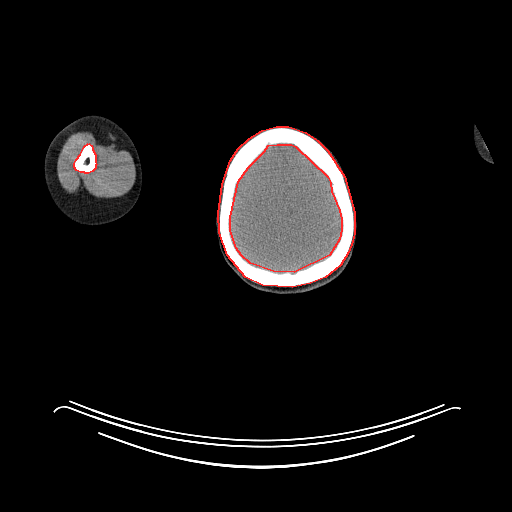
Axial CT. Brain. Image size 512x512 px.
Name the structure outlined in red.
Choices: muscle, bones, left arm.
red: bones.
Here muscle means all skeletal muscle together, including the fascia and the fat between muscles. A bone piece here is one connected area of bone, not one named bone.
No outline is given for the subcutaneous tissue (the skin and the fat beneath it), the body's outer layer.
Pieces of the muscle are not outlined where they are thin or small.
{"bones":[{"outer":[[276,126],[288,126],[305,132],[317,140],[327,150],[344,176],[354,212],[354,233],[352,241],[348,252],[340,265],[325,277],[310,283],[292,287],[262,285],[245,277],[227,255],[219,232],[218,213],[222,184],[230,160],[238,148],[249,138],[262,130]],"hole":[[277,144],[291,144],[295,146],[327,176],[330,182],[331,191],[339,210],[341,219],[341,229],[339,239],[329,255],[294,272],[273,271],[250,263],[241,255],[236,248],[230,230],[230,217],[238,181],[248,167],[264,151],[268,145]]},[[88,143],[91,145],[92,147],[92,149],[95,154],[95,162],[96,164],[95,165],[95,168],[92,171],[88,173],[85,173],[84,172],[80,172],[76,170],[74,167],[74,163],[76,159],[80,154],[84,146]]],"head":[[[276,126],[291,126],[308,132],[321,140],[333,152],[343,170],[358,223],[353,254],[344,271],[326,285],[297,294],[268,293],[246,285],[224,261],[215,233],[214,216],[216,206],[224,174],[230,160],[238,148],[250,136],[256,132]]],"muscle":[{"outer":[[82,130],[88,130],[96,133],[115,133],[120,136],[127,143],[129,148],[129,152],[133,158],[136,175],[132,188],[123,196],[117,198],[104,199],[94,197],[87,193],[68,194],[60,186],[56,171],[56,163],[58,154],[66,139],[72,133]],"hole":[[88,143],[91,145],[92,147],[92,149],[95,154],[95,162],[96,164],[95,165],[95,168],[92,171],[88,173],[85,173],[84,172],[80,172],[76,170],[74,167],[74,163],[76,159],[80,154],[84,146]]}],"left_arm":[[[473,124],[476,126],[476,127],[478,129],[481,135],[481,137],[493,161],[492,163],[490,162],[488,162],[484,159],[483,159],[478,154],[478,153],[475,149],[475,147],[473,143],[473,138],[472,137],[472,126]]],"right_arm":[[[90,114],[101,115],[111,119],[117,123],[128,134],[134,143],[138,152],[142,171],[141,190],[138,199],[133,207],[120,218],[109,223],[95,226],[77,223],[64,215],[52,201],[44,180],[44,158],[47,148],[52,139],[61,129],[72,121],[82,116]]],"brain":[[[277,144],[291,144],[295,146],[327,176],[330,182],[331,191],[339,210],[341,219],[341,229],[339,239],[329,255],[294,272],[273,271],[250,263],[241,255],[236,248],[230,230],[230,217],[238,181],[248,167],[264,151],[268,145]]]}